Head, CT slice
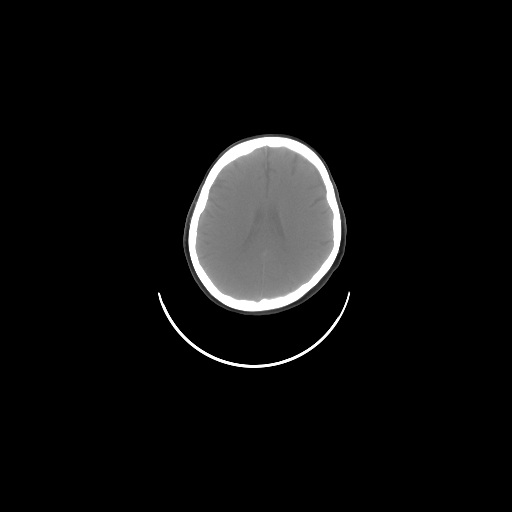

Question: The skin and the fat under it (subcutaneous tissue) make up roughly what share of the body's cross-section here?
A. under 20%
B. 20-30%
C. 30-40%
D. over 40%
Answer: A. under 20%
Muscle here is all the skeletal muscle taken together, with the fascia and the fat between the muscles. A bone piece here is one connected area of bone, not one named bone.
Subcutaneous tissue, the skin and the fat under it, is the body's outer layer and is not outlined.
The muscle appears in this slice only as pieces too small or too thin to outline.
{"bones":[{"outer":[[261,136],[284,136],[295,139],[307,145],[319,156],[333,184],[341,219],[341,241],[338,253],[331,267],[299,299],[274,309],[245,311],[232,308],[222,303],[206,289],[192,265],[187,238],[189,222],[195,203],[204,180],[213,164],[231,146],[244,140]],"hole":[[264,147],[285,148],[301,156],[315,168],[323,184],[325,200],[331,212],[332,244],[317,269],[307,280],[295,288],[271,297],[262,297],[259,299],[240,298],[222,291],[202,265],[197,252],[198,226],[200,217],[207,205],[210,190],[220,172],[238,158]]}],"brain":[[[264,147],[285,148],[301,156],[315,168],[323,184],[325,200],[331,212],[332,244],[317,269],[307,280],[295,288],[271,297],[262,297],[259,299],[240,298],[222,291],[202,265],[197,252],[198,226],[200,217],[207,205],[210,190],[220,172],[238,158]]],"head":[[[264,132],[285,132],[298,136],[313,146],[323,156],[337,184],[345,210],[347,239],[345,253],[339,267],[324,287],[314,296],[305,303],[283,313],[250,317],[225,311],[203,295],[193,281],[184,259],[182,231],[189,205],[210,160],[231,141],[244,135]]]}